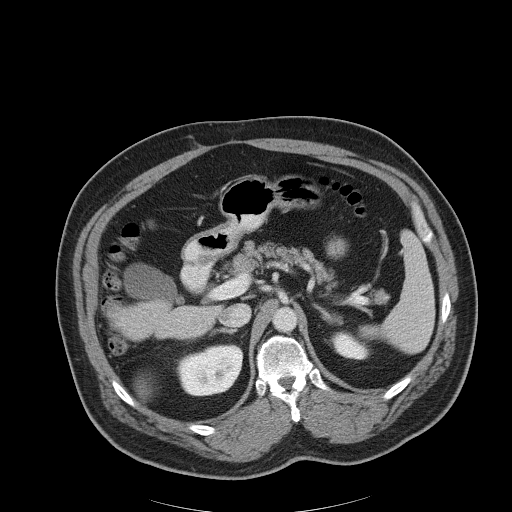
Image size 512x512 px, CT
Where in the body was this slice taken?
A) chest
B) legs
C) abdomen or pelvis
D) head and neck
C) abdomen or pelvis
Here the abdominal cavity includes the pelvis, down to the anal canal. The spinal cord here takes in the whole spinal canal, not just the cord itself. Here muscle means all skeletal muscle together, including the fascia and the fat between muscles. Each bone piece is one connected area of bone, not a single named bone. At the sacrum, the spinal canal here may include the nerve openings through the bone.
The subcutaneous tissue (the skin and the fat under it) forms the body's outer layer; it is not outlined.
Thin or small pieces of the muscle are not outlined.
The bones appear in 6 outlined pieces: piece 1: [[277,334],[292,337],[303,346],[308,358],[333,391],[317,387],[308,380],[307,390],[302,390],[296,399],[300,416],[297,422],[292,420],[291,409],[283,400],[271,396],[268,391],[259,397],[255,391],[255,381],[258,375],[256,366],[258,348],[269,337]], around a hole outlined by [[288,376],[292,376],[293,377],[294,377],[294,380],[293,381],[293,382],[291,384],[291,385],[290,386],[290,388],[289,389],[287,389],[285,387],[284,387],[282,385],[281,385],[278,382],[278,381],[280,378],[282,378],[283,377],[287,377]]; piece 2: [[414,199],[419,203],[422,209],[422,211],[423,212],[424,217],[428,225],[433,232],[433,237],[429,245],[428,245],[423,241],[418,231],[418,229],[416,227],[416,225],[414,223],[414,221],[412,217],[412,213],[411,212],[411,205],[410,203],[411,201]]; piece 3: [[408,374],[410,374],[412,377],[412,379],[409,382],[409,383],[400,392],[399,392],[391,398],[390,398],[389,399],[387,399],[386,400],[384,400],[382,398],[381,395],[392,385],[393,385],[395,383],[396,383],[400,380],[401,380]]; piece 4: [[113,379],[115,380],[118,383],[119,383],[125,389],[125,390],[129,394],[129,395],[134,400],[136,404],[136,406],[135,407],[133,407],[129,405],[127,403],[126,403],[115,392],[112,386],[112,384],[111,383],[111,381]]; piece 5: [[445,292],[447,292],[449,295],[449,298],[450,299],[450,311],[449,312],[449,314],[448,315],[447,320],[444,323],[441,323],[441,322],[440,321],[440,310],[441,309],[441,303],[442,302],[442,299],[443,298],[443,296],[444,295],[444,293]]; piece 6: [[190,423],[194,423],[195,424],[202,424],[203,425],[209,425],[210,426],[212,426],[215,428],[215,432],[212,434],[209,434],[208,435],[201,435],[200,434],[198,434],[197,433],[196,433],[195,432],[192,431],[190,429],[189,429],[188,428],[188,425]]. The torso is outlined by [[268,116],[321,116],[367,126],[391,138],[424,169],[454,209],[471,252],[478,302],[471,361],[455,401],[439,421],[371,460],[351,465],[299,460],[248,479],[168,471],[115,448],[82,405],[55,306],[55,268],[62,230],[86,181],[133,143],[180,124]]. The abdominal cavity is outlined by [[229,144],[361,169],[385,181],[410,208],[435,261],[439,320],[425,355],[387,389],[350,391],[325,379],[296,338],[278,333],[257,348],[257,375],[247,398],[218,419],[183,421],[157,413],[138,403],[120,383],[95,322],[101,234],[121,208],[163,177]]. The muscle is outlined by [[255,138],[289,138],[337,146],[357,153],[366,158],[380,161],[393,166],[407,174],[425,190],[433,201],[441,219],[454,256],[459,290],[457,297],[455,348],[448,367],[437,380],[422,395],[415,399],[389,426],[378,434],[353,443],[330,443],[314,437],[302,425],[298,424],[294,425],[291,430],[278,443],[274,444],[269,451],[264,453],[260,457],[250,461],[231,462],[204,457],[176,444],[143,433],[118,420],[105,408],[100,397],[100,390],[98,385],[99,381],[96,371],[88,359],[84,348],[84,343],[78,330],[75,296],[73,289],[72,259],[80,232],[93,214],[102,205],[109,201],[129,181],[139,174],[167,159],[196,148],[199,145],[212,145],[231,139],[247,140]], around holes outlined by [[229,144],[355,167],[385,181],[408,207],[414,199],[419,203],[433,232],[429,248],[439,303],[447,292],[450,311],[444,323],[438,321],[429,349],[409,373],[412,379],[391,398],[326,379],[332,392],[308,380],[296,399],[300,419],[295,422],[287,403],[268,391],[259,397],[254,383],[242,404],[224,417],[183,421],[137,401],[133,407],[115,392],[111,381],[120,380],[95,322],[101,234],[121,208],[163,177]] and by [[190,423],[194,423],[195,424],[202,424],[203,425],[209,425],[210,426],[212,426],[215,428],[215,432],[212,434],[209,434],[208,435],[201,435],[200,434],[198,434],[197,433],[196,433],[195,432],[192,431],[190,429],[189,429],[188,428],[188,425]]. The spinal cord is outlined by [[288,376],[292,376],[293,377],[294,377],[294,380],[293,381],[293,382],[291,384],[291,385],[290,386],[290,388],[289,389],[287,389],[285,387],[284,387],[282,385],[281,385],[278,382],[278,381],[280,378],[282,378],[283,377],[287,377]].